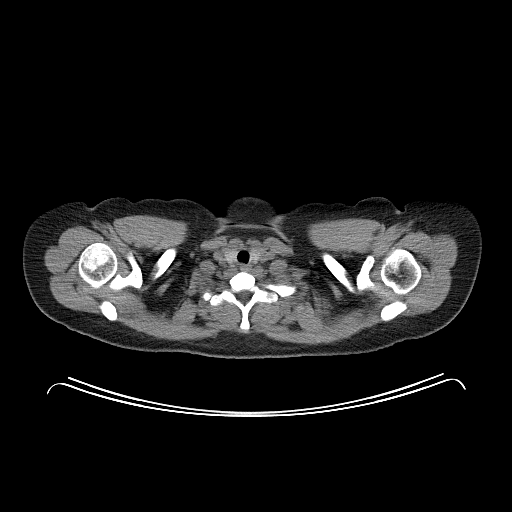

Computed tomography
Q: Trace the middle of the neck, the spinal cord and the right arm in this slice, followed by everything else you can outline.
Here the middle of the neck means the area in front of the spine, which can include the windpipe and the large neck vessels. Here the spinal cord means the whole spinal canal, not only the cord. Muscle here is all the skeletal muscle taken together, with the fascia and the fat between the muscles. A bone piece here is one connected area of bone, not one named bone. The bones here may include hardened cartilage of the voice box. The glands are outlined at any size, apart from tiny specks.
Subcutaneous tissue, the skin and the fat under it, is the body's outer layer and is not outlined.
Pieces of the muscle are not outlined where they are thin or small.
A: middle of the neck: 245,245 250,246 248,251 254,264 262,256 263,252 260,248 277,254 286,265 286,269 282,274 267,277 240,270 222,277 209,277 200,271 199,263 218,249 225,249 223,257 229,265 232,265 236,260 237,247
spinal cord: 243,290 247,290 248,291 249,291 250,292 251,292 251,295 250,296 250,297 249,298 249,299 246,302 245,302 244,303 243,303 240,300 239,300 237,298 237,297 236,296 236,293 237,293 240,291 242,291
right arm: 102,200 104,200 107,208 112,234 112,241 114,247 113,268 108,281 98,295 90,311 77,326 70,330 65,326 50,319 34,303 28,291 23,273 23,240 31,222 44,211 70,201 83,201 89,206 93,206
head and neck: 247,195 252,195 260,199 262,199 264,201 267,201 270,203 277,211 278,211 278,213 271,219 269,219 261,224 250,225 249,226 238,225 229,219 223,217 221,215 224,212 226,206 232,200 235,198 238,198
thyroid glands 1: 233,247 236,247 237,248 237,251 236,252 236,255 235,256 235,260 234,261 234,262 232,264 229,264 226,261 226,260 225,259 225,258 224,257 224,251 226,249 227,249 228,248 232,248
thyroid glands 2: 250,247 255,247 256,248 259,248 261,250 261,251 262,252 262,253 261,254 261,256 259,258 258,261 256,263 254,263 252,261 252,260 251,259 251,256 250,255 250,252 249,251 249,249 250,248
torso: 371,196 382,196 393,203 387,224 385,266 399,303 416,327 427,335 425,337 368,353 236,359 125,349 72,330 91,311 114,268 115,247 104,199 187,198 238,226 249,227 261,225 279,211 307,202 353,205
muscle: 138,214 186,221 191,232 201,238 224,226 263,225 276,228 296,245 305,241 306,225 315,221 365,218 389,226 416,219 455,235 458,255 450,290 436,309 396,317 408,307 397,298 380,309 382,323 333,343 297,344 237,332 199,340 159,339 117,322 117,308 110,300 104,299 98,305 102,315 59,303 49,289 43,261 46,247 67,227 95,218, around holes outlined by 245,245 267,249 285,262 285,271 275,277 254,274 258,282 296,287 276,302 255,303 248,313 247,332 240,328 242,313 235,304 212,305 202,298 205,291 225,287 233,275 209,277 199,269 199,263 215,250 and by 95,242 103,242 112,249 117,258 117,272 123,277 131,270 131,266 125,256 127,252 130,251 141,269 142,285 139,288 126,286 115,290 110,288 107,284 94,288 84,281 78,273 78,259 81,252 88,245 and by 394,248 401,248 402,249 405,249 412,253 415,257 421,270 421,277 418,283 411,290 410,290 405,294 396,294 389,287 386,286 382,282 381,278 380,277 380,267 381,266 382,260 383,258 392,249 and by 323,252 330,254 345,268 346,276 354,286 355,278 364,260 367,256 371,255 374,262 369,271 369,277 373,282 380,286 378,290 383,291 383,293 368,288 360,291 357,290 353,293 350,292 324,264 321,257 and by 171,247 174,247 176,249 176,255 175,256 174,259 171,262 171,263 168,266 168,267 165,270 165,271 159,277 158,277 155,279 153,279 153,275 157,269 155,266 156,261 159,258 159,257 167,249 168,249
bones 1: 95,242 103,242 112,249 117,258 117,272 123,277 131,270 131,266 125,256 127,252 130,251 141,269 142,285 139,288 126,286 115,290 110,288 107,284 94,288 84,281 78,273 78,259 81,252 88,245
bones 2: 240,271 250,273 258,282 289,284 296,287 294,293 289,296 279,296 276,302 255,303 248,313 247,332 240,328 242,313 235,304 223,301 218,305 212,305 202,298 205,291 218,292 228,284 228,280 233,275, around a hole outlined by 243,290 247,290 248,291 249,291 250,292 251,292 251,295 250,296 250,297 249,298 249,299 246,302 245,302 244,303 243,303 240,300 239,300 237,298 237,297 236,296 236,293 237,293 240,291 242,291
bones 3: 394,248 401,248 402,249 405,249 412,253 415,257 421,270 421,277 418,283 411,290 410,290 405,294 396,294 389,287 386,286 382,282 381,278 380,277 380,267 381,266 382,260 383,258 392,249
bones 4: 323,252 330,254 345,268 346,276 354,286 355,278 364,260 367,256 371,255 374,262 369,271 369,277 373,282 380,286 378,290 383,291 383,293 368,288 360,291 357,290 353,293 350,292 324,264 321,257
bones 5: 397,299 398,300 403,301 406,303 406,305 407,306 406,309 402,312 401,312 399,314 398,314 393,319 389,321 387,321 386,322 383,322 381,321 380,319 380,312 381,311 381,309 386,304 394,300 396,300
bones 6: 171,247 174,247 176,249 176,255 175,256 174,259 171,262 171,263 168,266 168,267 165,270 165,271 159,277 158,277 155,279 153,279 153,275 157,269 155,266 156,261 159,258 159,257 167,249 168,249
bones 7: 104,300 107,300 108,301 110,301 115,306 115,307 116,308 116,311 117,312 117,320 116,321 111,321 110,320 109,320 106,317 105,317 103,315 103,314 102,313 101,310 99,308 99,305 101,303 101,302
left arm: 412,198 445,198 462,203 468,207 477,218 482,235 482,251 477,275 472,290 464,306 459,313 447,325 429,335 417,327 400,303 394,291 394,288 386,266 388,224 393,212 394,204 398,209 402,210 405,202